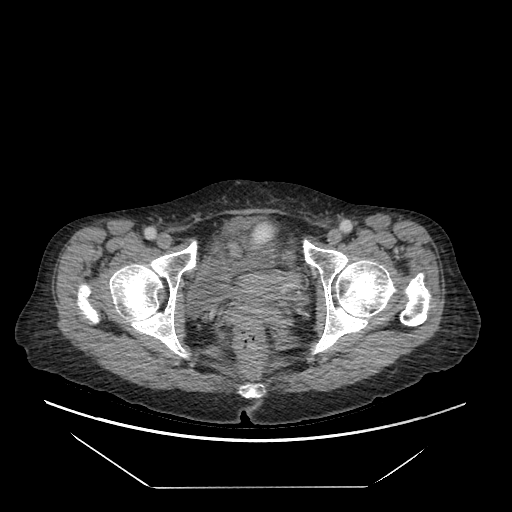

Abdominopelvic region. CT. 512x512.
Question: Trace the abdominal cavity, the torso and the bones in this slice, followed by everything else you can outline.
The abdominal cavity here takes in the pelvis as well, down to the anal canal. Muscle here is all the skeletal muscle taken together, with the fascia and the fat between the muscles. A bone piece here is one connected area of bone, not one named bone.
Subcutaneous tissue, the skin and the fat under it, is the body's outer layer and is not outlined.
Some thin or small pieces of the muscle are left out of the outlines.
Answer: Outlines (x, y in pixels):
abdominal cavity: 251 214; 279 214; 295 217; 308 225; 300 245; 315 293; 315 320; 310 346; 303 358; 278 368; 261 381; 244 383; 238 381; 235 375; 220 362; 202 356; 189 346; 184 334; 185 288; 199 259; 200 242; 193 233; 193 228; 217 218
torso: 227 179; 292 182; 351 203; 409 209; 436 221; 450 238; 480 314; 475 346; 450 369; 426 374; 363 406; 276 425; 254 424; 244 411; 238 423; 163 413; 31 366; 14 339; 14 326; 33 290; 44 249; 58 229; 83 216; 166 202
bones 1: 305 238; 318 247; 342 252; 350 262; 368 259; 383 265; 389 272; 397 289; 386 306; 368 319; 365 327; 344 334; 327 349; 314 355; 311 355; 310 348; 323 333; 326 305; 319 273; 316 268; 311 267; 306 262; 304 257; 302 242
bones 2: 194 239; 198 242; 196 265; 194 268; 186 270; 181 276; 174 310; 175 333; 180 344; 191 354; 189 359; 185 359; 169 349; 159 339; 136 330; 116 311; 109 290; 109 280; 113 273; 123 266; 132 263; 147 264; 161 255; 185 248
bones 3: 419 272; 422 272; 424 274; 424 284; 431 294; 431 299; 429 303; 430 307; 427 313; 427 317; 422 323; 415 326; 407 326; 403 324; 399 320; 399 314; 405 307; 405 304; 407 300; 406 296; 403 293; 403 288; 406 286; 409 281
bones 4: 82 282; 86 282; 90 286; 91 293; 88 297; 88 300; 90 302; 91 305; 98 311; 99 316; 100 317; 99 322; 96 324; 90 324; 88 320; 81 314; 80 314; 79 309; 76 304; 76 299; 77 298; 77 288; 78 287; 78 285
bones 5: 246 382; 260 382; 261 383; 263 383; 264 384; 264 387; 266 391; 265 393; 262 396; 260 397; 258 397; 257 398; 244 398; 241 395; 237 393; 237 390; 238 389; 238 386; 240 384; 244 384
muscle 1: 240 208; 387 213; 422 225; 443 269; 439 330; 355 383; 258 398; 267 391; 262 381; 309 349; 314 356; 365 328; 398 289; 383 264; 350 261; 303 238; 309 225; 299 217; 231 214; 195 225; 198 241; 116 269; 108 290; 136 331; 189 360; 175 310; 182 276; 195 268; 184 288; 184 338; 243 383; 236 390; 242 398; 153 389; 94 363; 56 324; 51 277; 70 237; 101 218; 171 222, around holes outlined by 419 272; 422 272; 424 274; 424 284; 431 294; 431 299; 429 303; 430 307; 427 313; 427 317; 422 323; 415 326; 407 326; 403 324; 399 320; 399 314; 405 307; 405 304; 407 300; 406 296; 403 293; 403 288; 406 286; 409 281 and by 82 282; 86 282; 90 286; 91 293; 88 297; 88 300; 90 302; 91 305; 98 311; 99 316; 100 317; 99 322; 96 324; 90 324; 88 320; 81 314; 80 314; 79 309; 76 304; 76 299; 77 298; 77 288; 78 287; 78 285
muscle 2: 305 261; 311 268; 316 269; 318 273; 318 276; 322 285; 323 296; 324 297; 324 304; 325 305; 325 317; 324 318; 324 326; 322 333; 317 341; 311 346; 312 338; 315 333; 314 332; 314 326; 316 320; 316 293; 311 278; 307 270